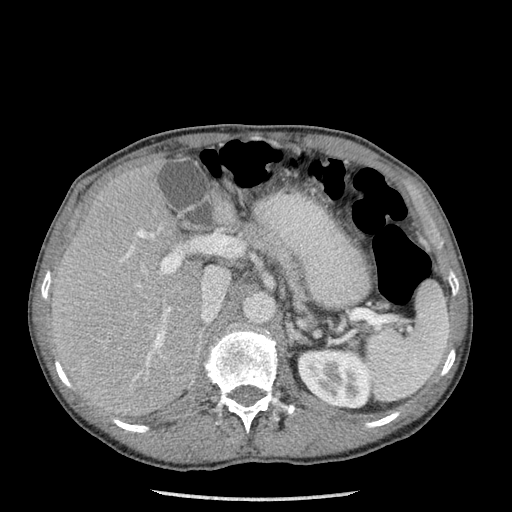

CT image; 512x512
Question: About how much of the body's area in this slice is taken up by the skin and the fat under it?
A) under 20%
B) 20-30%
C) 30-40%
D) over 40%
Answer: A) under 20%
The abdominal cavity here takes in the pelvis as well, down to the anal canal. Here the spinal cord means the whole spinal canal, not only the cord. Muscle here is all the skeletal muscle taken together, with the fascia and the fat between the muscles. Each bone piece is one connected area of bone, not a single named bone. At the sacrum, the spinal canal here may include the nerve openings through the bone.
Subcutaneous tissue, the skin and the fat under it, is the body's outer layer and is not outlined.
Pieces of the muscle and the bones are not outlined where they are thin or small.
{"spinal_cord":[[[247,385],[254,386],[260,389],[263,392],[264,394],[261,398],[258,399],[253,404],[251,405],[249,405],[248,406],[245,406],[237,402],[234,399],[231,398],[229,396],[229,395],[230,393],[235,388],[239,386],[246,386]]],"torso":[[[219,123],[305,124],[355,133],[413,168],[437,197],[469,277],[473,332],[468,360],[456,387],[441,408],[407,438],[335,462],[248,462],[181,471],[153,467],[118,454],[80,427],[53,395],[30,340],[27,299],[40,246],[70,184],[102,158],[140,138]]],"bones":[{"outer":[[247,328],[267,332],[275,340],[278,365],[272,394],[296,407],[291,414],[278,412],[279,419],[275,420],[270,404],[267,410],[257,413],[248,433],[240,417],[226,407],[220,418],[211,410],[220,399],[220,390],[206,376],[203,364],[209,348],[223,335]],"hole":[[247,385],[254,386],[260,389],[263,392],[264,394],[261,398],[258,399],[253,404],[251,405],[249,405],[248,406],[245,406],[237,402],[234,399],[231,398],[229,396],[229,395],[230,393],[235,388],[239,386],[246,386]]},[[404,180],[409,181],[419,191],[432,217],[432,219],[437,229],[439,231],[441,237],[444,240],[444,243],[440,249],[437,248],[430,241],[430,235],[428,233],[428,230],[423,221],[423,219],[418,210],[416,204],[413,201],[404,183]],[[111,417],[117,418],[121,421],[127,422],[128,423],[137,423],[138,424],[144,424],[145,425],[147,425],[149,427],[149,429],[145,432],[133,432],[132,431],[129,431],[128,430],[126,430],[118,426],[115,423],[114,423],[112,421]],[[398,409],[400,409],[400,412],[399,414],[394,419],[393,419],[391,421],[383,425],[380,425],[379,426],[375,426],[374,427],[366,427],[364,425],[364,424],[368,421],[372,421],[376,419],[379,419],[389,414],[391,412],[395,410],[397,410]],[[47,269],[49,269],[51,272],[51,282],[50,283],[50,285],[49,286],[49,289],[48,290],[48,297],[47,298],[47,299],[44,299],[42,297],[42,296],[41,295],[41,284],[42,283],[42,281],[43,280],[43,278],[45,275],[45,273],[46,272]],[[451,348],[454,348],[455,349],[455,359],[454,360],[454,361],[453,362],[451,367],[449,369],[449,370],[444,375],[441,376],[440,375],[440,371],[441,370],[441,369],[444,364],[444,362],[446,359],[446,357],[447,356],[447,355],[448,354],[448,353]],[[56,358],[57,358],[58,359],[63,370],[65,372],[69,381],[72,384],[74,389],[73,389],[72,388],[70,388],[69,387],[66,386],[60,379],[60,378],[56,371],[56,369],[55,368],[55,365],[54,364],[54,362],[55,361],[55,359]]],"abdominal_cavity":[[[250,135],[376,169],[402,194],[447,289],[449,349],[438,373],[400,408],[381,417],[352,416],[309,399],[279,357],[273,336],[247,327],[223,334],[208,348],[195,397],[187,404],[145,423],[104,413],[75,389],[54,348],[50,309],[60,258],[114,177]]],"muscle":[{"outer":[[245,131],[266,131],[267,132],[280,131],[281,132],[316,133],[317,134],[335,136],[351,140],[367,147],[393,164],[398,166],[412,176],[415,177],[423,185],[432,198],[446,226],[461,269],[465,284],[466,296],[467,297],[467,327],[465,333],[465,338],[463,341],[463,349],[461,354],[461,358],[458,367],[450,383],[442,395],[426,412],[417,419],[408,424],[406,424],[382,438],[376,441],[367,443],[362,446],[359,446],[342,452],[321,455],[320,456],[314,456],[313,457],[259,456],[258,455],[251,455],[249,454],[220,461],[202,462],[201,463],[175,463],[174,462],[160,460],[137,452],[112,438],[107,433],[102,431],[93,424],[89,423],[82,418],[70,406],[63,397],[52,379],[49,370],[46,366],[34,331],[34,325],[32,321],[32,302],[33,301],[36,280],[45,252],[45,249],[49,241],[50,236],[54,229],[58,218],[66,205],[75,186],[80,180],[96,172],[126,154],[128,154],[144,146],[147,146],[153,143],[165,140],[168,138],[187,134],[193,134],[194,133],[206,133],[207,132],[236,133]],"holes":[[[250,135],[393,183],[446,285],[455,359],[379,426],[309,399],[279,357],[272,394],[296,407],[291,414],[275,420],[270,404],[247,433],[226,407],[220,418],[211,410],[220,390],[204,370],[191,401],[145,432],[126,430],[56,371],[57,264],[114,177]],[[404,180],[409,181],[419,191],[432,217],[432,219],[437,229],[439,231],[441,237],[444,240],[444,243],[440,249],[437,248],[430,241],[430,235],[428,233],[428,230],[423,221],[423,219],[418,210],[416,204],[413,201],[404,183]],[[449,269],[452,269],[453,270],[453,271],[455,273],[458,279],[458,282],[459,283],[459,288],[458,289],[458,292],[455,296],[452,296],[452,294],[451,293],[451,288],[450,287],[450,285],[447,279],[447,277],[448,276],[448,271]],[[47,269],[49,269],[51,272],[51,282],[50,283],[50,285],[49,286],[49,289],[48,290],[48,297],[47,298],[47,299],[44,299],[42,297],[42,296],[41,295],[41,284],[42,283],[42,281],[43,280],[43,278],[45,275],[45,273],[46,272]]]}]}